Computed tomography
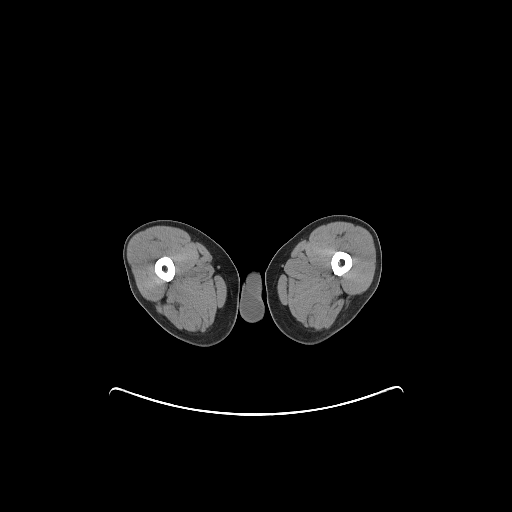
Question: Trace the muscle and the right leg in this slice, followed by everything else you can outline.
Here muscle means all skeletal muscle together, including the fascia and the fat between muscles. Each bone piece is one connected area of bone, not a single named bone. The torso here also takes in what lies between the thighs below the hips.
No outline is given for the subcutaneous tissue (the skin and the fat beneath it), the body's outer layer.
Answer: Outlines:
muscle 1: 333,221 347,221 360,224 371,234 376,255 375,271 369,287 364,292 354,297 353,301 343,314 329,328 319,331 309,331 300,325 294,323 288,313 279,303 274,288 274,280 280,263 291,248 316,227, around a hole outlined by 337,251 344,251 345,252 347,252 351,256 352,258 352,265 351,267 348,271 347,271 343,275 341,276 338,276 334,274 331,268 331,265 330,264 330,262 331,261 331,258 332,256 335,253 335,252
muscle 2: 155,225 168,225 178,227 190,232 206,247 214,257 216,262 220,265 220,269 229,283 228,298 221,308 217,323 214,328 206,334 195,336 175,328 142,296 136,285 132,270 126,260 127,246 130,239 136,233; inner edge: 163,257 169,257 169,258 171,260 171,261 172,262 172,263 174,266 174,276 173,277 173,278 170,281 164,281 162,279 161,279 155,273 155,263 156,262 156,261 158,259 159,259 160,258 162,258
right leg: 157,219 177,220 199,229 217,242 225,250 238,271 240,282 238,295 238,309 235,324 227,337 215,345 208,347 199,347 186,343 172,336 154,321 138,303 131,292 122,257 124,241 127,235 133,229 143,223
bones 1: 337,251 344,251 345,252 347,252 351,256 352,258 352,265 351,267 348,271 347,271 343,275 341,276 338,276 334,274 331,268 331,265 330,264 330,262 331,261 331,258 332,256 335,253 335,252
bones 2: 163,257 169,257 169,258 171,260 171,261 172,262 172,263 174,266 174,276 173,277 173,278 170,281 164,281 162,279 161,279 155,273 155,263 156,262 156,261 158,259 159,259 160,258 162,258
torso: 253,269 259,270 263,274 264,289 262,290 262,298 264,301 266,299 266,297 268,309 265,310 264,316 261,320 251,323 245,321 240,315 238,315 238,310 239,309 239,295 241,280 242,281 244,279 248,271
left leg: 333,214 345,214 354,216 367,222 373,227 377,233 381,246 381,277 379,284 373,295 358,314 345,327 319,344 304,345 297,343 285,336 275,325 268,308 267,297 265,293 264,273 276,251 300,229 318,218